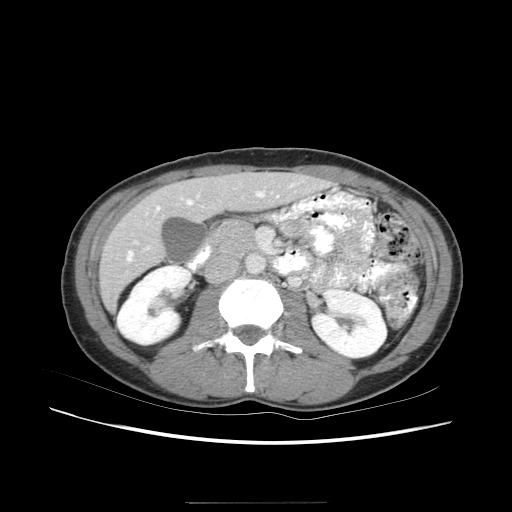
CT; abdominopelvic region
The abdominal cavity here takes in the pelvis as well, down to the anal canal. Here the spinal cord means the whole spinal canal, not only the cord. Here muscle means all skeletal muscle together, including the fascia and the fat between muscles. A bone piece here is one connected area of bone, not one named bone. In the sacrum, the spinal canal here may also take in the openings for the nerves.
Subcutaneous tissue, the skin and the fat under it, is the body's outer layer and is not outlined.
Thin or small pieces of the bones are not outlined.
{"bones":[{"outer":[[247,392],[255,389],[253,360],[257,353],[269,356],[275,349],[294,353],[302,349],[272,333],[272,325],[284,312],[275,285],[268,279],[243,274],[233,279],[218,299],[226,331],[217,338],[193,345],[192,349],[218,344],[228,353],[240,352],[245,359]],"hole":[[248,345],[253,344],[255,342],[256,342],[259,338],[262,337],[264,335],[265,332],[261,328],[260,328],[257,326],[255,326],[254,325],[241,325],[240,326],[238,326],[234,329],[234,334],[235,335],[236,335],[244,343],[245,343]]}],"torso":[[[302,412],[347,406],[388,391],[419,371],[440,347],[459,305],[463,262],[456,236],[439,208],[381,168],[349,155],[308,147],[235,147],[186,155],[131,174],[101,192],[74,224],[60,272],[67,326],[83,353],[119,382],[164,401],[214,408],[251,400]]],"abdominal_cavity":[[[358,367],[374,363],[396,345],[425,287],[423,252],[413,229],[370,191],[284,170],[191,176],[151,189],[106,235],[96,265],[97,291],[112,325],[134,351],[151,355],[180,335],[204,288],[222,289],[244,273],[268,278],[279,290],[300,292],[318,339]]],"muscle":[{"outer":[[298,404],[317,404],[318,403],[323,403],[335,400],[343,396],[353,388],[358,381],[363,377],[371,374],[387,371],[403,363],[409,358],[410,355],[409,354],[422,345],[433,332],[439,316],[443,311],[448,300],[450,286],[451,285],[451,277],[452,276],[452,261],[451,260],[450,251],[447,246],[447,243],[445,240],[444,235],[438,223],[424,207],[415,200],[402,195],[397,190],[380,180],[367,176],[354,170],[336,165],[304,164],[295,166],[278,166],[277,165],[273,166],[257,166],[248,164],[220,163],[219,164],[208,164],[202,166],[176,169],[162,173],[146,181],[131,185],[113,193],[94,210],[85,224],[77,244],[77,249],[74,259],[75,288],[77,296],[83,308],[84,316],[88,324],[97,333],[102,342],[110,351],[116,356],[129,362],[134,366],[136,366],[154,384],[157,385],[160,388],[162,388],[166,391],[175,393],[185,397],[194,399],[207,399],[209,396],[227,398],[228,397],[236,397],[245,393],[253,393],[262,397],[265,397],[268,399],[280,402],[284,402],[289,400],[295,400],[296,403]],"hole":[[247,392],[257,353],[302,351],[272,333],[280,289],[300,292],[318,339],[358,367],[405,333],[423,297],[423,252],[381,197],[284,170],[191,176],[151,189],[106,235],[97,291],[120,337],[151,355],[217,287],[227,329],[192,349],[240,352]]}],"spinal_cord":[[[248,345],[253,344],[255,342],[256,342],[259,338],[262,337],[264,335],[265,332],[261,328],[260,328],[257,326],[255,326],[254,325],[241,325],[240,326],[238,326],[234,329],[234,334],[235,335],[236,335],[244,343],[245,343]]]}